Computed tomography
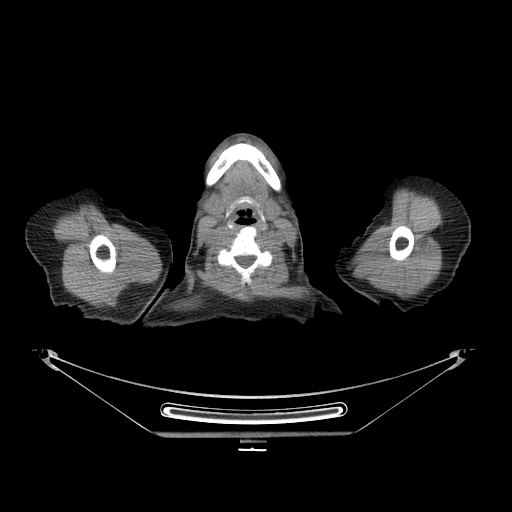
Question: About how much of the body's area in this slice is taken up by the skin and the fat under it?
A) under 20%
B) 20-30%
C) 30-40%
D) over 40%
Answer: C) 30-40%
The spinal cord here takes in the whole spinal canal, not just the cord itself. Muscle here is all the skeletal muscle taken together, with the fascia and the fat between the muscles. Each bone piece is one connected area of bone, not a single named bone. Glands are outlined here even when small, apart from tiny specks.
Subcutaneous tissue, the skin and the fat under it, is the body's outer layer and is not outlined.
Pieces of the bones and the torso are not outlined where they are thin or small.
The left arm is outlined by 407,173 434,178 459,197 470,217 471,241 451,283 436,293 425,306 404,312 390,301 385,301 379,306 348,287 337,277 333,260 340,246 350,243 357,235 362,234 372,217 381,209 384,200 383,190 388,178. The head and neck is outlined by 236,132 252,133 267,142 279,158 289,178 289,192 299,219 303,241 305,286 299,302 287,319 278,318 261,322 243,319 212,320 189,293 182,278 195,213 194,205 202,186 200,176 204,162 210,152 223,138, around holes outlined by 240,218 251,218 252,219 254,219 254,221 252,223 239,223 238,222 238,220 and by 248,210 250,210 250,215 249,216 247,214 245,214 244,215 241,215 239,213 239,212 240,211 243,211 245,213 246,213 248,211. The bones appear in 5 outlined pieces: piece 1: 240,142 251,144 255,146 263,153 279,177 281,182 281,189 279,191 274,190 257,169 248,160 245,159 238,159 236,160 223,173 219,179 212,185 207,186 205,184 204,181 206,174 219,157 221,152 229,146; piece 2: 246,225 251,225 255,228 256,235 254,239 262,248 269,250 272,255 272,260 268,266 258,266 251,273 249,283 242,283 241,275 235,268 230,265 226,266 219,264 217,254 219,250 227,246 232,241 236,233; inner edge: 250,255 253,255 255,257 255,259 254,260 254,261 250,265 249,265 247,267 243,267 242,266 241,266 236,261 236,260 235,259 235,257 236,257 237,256 249,256; piece 3: 97,234 103,234 106,236 111,241 115,247 115,250 116,251 116,265 115,266 114,270 111,273 105,273 104,272 100,271 94,265 92,261 92,259 90,255 90,252 89,251 89,247 88,246 88,244 92,238; piece 4: 400,225 404,225 405,226 407,226 413,233 413,235 414,236 414,238 413,239 413,247 409,255 407,256 403,260 395,260 393,259 390,256 390,254 389,253 389,241 390,240 390,238 391,237 392,232 398,226; piece 5: 243,196 248,196 252,198 259,204 259,208 261,209 263,212 263,215 265,219 265,222 263,222 261,220 256,210 256,207 253,204 249,204 246,202 237,204 228,217 226,217 225,214 230,205 235,200. The spinal cord is outlined by 250,255 253,255 255,257 255,259 254,260 254,261 250,265 249,265 247,267 243,267 242,266 241,266 236,261 236,260 235,259 235,257 236,257 237,256 249,256. The muscle appears in 3 outlined pieces: piece 1: 239,136 261,142 277,161 283,178 283,191 297,231 295,253 299,277 301,283 310,290 311,295 302,300 273,298 246,302 214,293 198,308 185,311 168,310 165,308 166,303 179,296 192,278 197,225 206,186 215,184 236,161 245,160 256,169 274,191 279,192 282,189 280,177 264,153 248,142 236,142 223,149 206,172 208,162 216,150 226,141; inner edges: 246,225 251,225 255,228 256,235 254,239 262,248 269,250 272,255 272,260 268,266 258,266 251,273 249,283 242,283 241,275 235,268 230,265 226,266 219,264 217,254 219,250 227,246 232,241 236,233, then 243,196 248,196 252,198 259,204 259,208 261,209 263,212 263,215 265,219 265,222 263,222 261,220 256,210 256,207 253,204 249,204 246,202 237,204 228,217 226,217 225,214 230,205 235,200, then 213,194 215,194 217,196 218,196 220,198 221,198 224,202 223,209 222,210 222,211 218,214 212,214 211,213 209,213 207,211 206,211 206,210 204,208 204,204 205,203 206,200 210,196 211,196, then 270,200 274,200 276,202 277,202 280,208 279,210 279,213 277,215 276,215 275,217 273,217 272,218 269,217 267,213 267,210 266,209 266,206 268,202, then 240,218 251,218 252,219 254,219 254,221 252,223 239,223 238,222 238,220, then 248,210 250,210 250,215 249,216 247,214 245,214 244,215 241,215 239,213 239,212 240,211 243,211 245,213 246,213 248,211; piece 2: 85,201 96,204 108,217 146,238 156,247 162,261 163,269 155,284 131,289 121,297 116,306 114,307 97,308 66,292 62,283 60,269 61,263 59,262 56,243 49,232 49,224 53,216 60,210; inner edge: 97,234 103,234 106,236 111,241 115,247 115,250 116,251 116,265 115,266 114,270 111,273 105,273 104,272 100,271 94,265 92,261 92,259 90,255 90,252 89,251 89,247 88,246 88,244 92,238; piece 3: 401,186 405,186 418,192 434,196 443,210 444,216 441,236 443,266 438,277 432,283 419,294 410,298 401,298 397,295 376,291 355,280 346,267 348,261 355,251 372,232 384,222 391,206 392,194 396,188, around a hole outlined by 400,225 404,225 405,226 407,226 413,233 413,235 414,236 414,238 413,239 413,247 409,255 407,256 403,260 395,260 393,259 390,256 390,254 389,253 389,241 390,240 390,238 391,237 392,232 398,226. The submandibular glands appear in 2 outlined pieces: piece 1: 213,194 215,194 217,196 218,196 220,198 221,198 224,202 223,209 222,210 222,211 218,214 212,214 211,213 209,213 207,211 206,211 206,210 204,208 204,204 205,203 206,200 210,196 211,196; piece 2: 270,200 274,200 276,202 277,202 280,208 279,210 279,213 277,215 276,215 275,217 273,217 272,218 269,217 267,213 267,210 266,209 266,206 268,202. The torso appears in 2 outlined pieces: piece 1: 181,278 188,293 203,312 211,320 205,322 197,322 196,323 185,324 179,326 156,327 149,329 142,328 140,326 141,322 140,318 144,314 147,308 156,299 162,290 167,286 171,287 175,285; piece 2: 306,270 309,275 311,282 318,289 329,295 338,304 339,307 344,313 344,315 343,316 325,313 318,309 314,314 314,318 305,325 303,325 295,320 288,319 288,318 296,309 305,292 305,287 306,286. The right arm is outlined by 90,184 99,187 105,202 110,207 118,208 128,218 144,224 151,221 158,223 171,240 173,263 165,284 167,285 143,314 129,325 83,318 75,306 54,306 49,297 45,273 25,244 26,220 40,204 49,198.